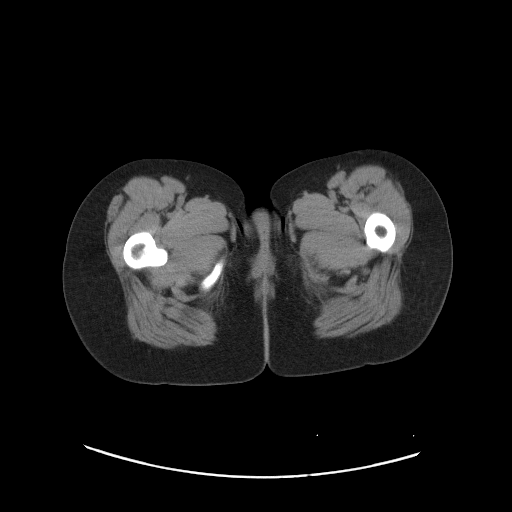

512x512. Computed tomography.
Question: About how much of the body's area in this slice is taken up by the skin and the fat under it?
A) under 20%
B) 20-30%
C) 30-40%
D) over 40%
Answer: D) over 40%
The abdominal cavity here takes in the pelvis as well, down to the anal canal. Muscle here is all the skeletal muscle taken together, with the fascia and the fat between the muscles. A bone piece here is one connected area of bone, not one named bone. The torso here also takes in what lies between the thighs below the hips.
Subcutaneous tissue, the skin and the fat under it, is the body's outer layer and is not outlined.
Outlines:
muscle 1: 141 172; 163 172; 183 182; 192 193; 220 199; 227 206; 234 220; 236 231; 233 252; 221 296; 213 305; 219 328; 218 339; 213 344; 165 349; 131 336; 127 325; 127 308; 123 290; 106 252; 104 223; 108 205; 116 189; 128 177, around holes outlined by 139 231; 148 231; 154 238; 156 245; 158 247; 162 247; 164 248; 167 251; 168 253; 168 258; 165 264; 157 267; 145 267; 140 269; 134 269; 133 268; 131 268; 126 264; 122 254; 124 243; 130 235; 135 232; 138 232 and by 219 260; 222 260; 223 261; 223 268; 222 269; 222 270; 221 271; 217 280; 215 282; 215 283; 208 290; 203 290; 202 289; 201 289; 201 288; 200 287; 200 284; 201 283; 201 281; 203 279; 203 278; 204 278; 212 270; 214 265
muscle 2: 368 161; 376 161; 394 174; 403 184; 411 206; 413 232; 402 260; 402 307; 389 324; 368 332; 353 337; 318 338; 312 333; 311 328; 316 308; 305 289; 293 255; 287 230; 287 212; 294 197; 300 192; 319 189; 343 167; 356 162 with a hole at 375 211; 382 212; 387 215; 391 219; 395 226; 395 239; 394 240; 394 242; 388 251; 386 252; 381 252; 376 249; 370 249; 367 247; 365 242; 365 235; 363 230; 364 228; 364 225; 365 224; 365 221; 367 217; 372 212; 374 212
muscle 3: 260 277; 267 277; 270 280; 271 280; 271 281; 274 285; 274 297; 273 297; 271 301; 267 304; 262 304; 260 302; 258 301; 256 301; 254 297; 254 289; 255 288; 255 285; 256 284; 256 282; 260 278; inner edge: 263 281; 267 281; 269 283; 269 285; 271 288; 271 291; 270 292; 270 295; 269 296; 268 296; 266 298; 266 299; 262 299; 262 298; 261 297; 261 296; 260 295; 260 294; 258 291; 258 286; 260 284; 260 283
left leg: 366 147; 386 149; 410 160; 428 177; 444 204; 453 245; 453 270; 443 307; 425 341; 402 359; 322 375; 302 377; 275 375; 265 366; 265 326; 268 311; 277 297; 277 242; 281 225; 277 211; 270 204; 270 188; 282 175; 304 163
abdominal cavity: 263 281; 267 281; 269 283; 269 285; 271 288; 271 291; 270 292; 270 295; 269 296; 268 296; 266 298; 266 299; 262 299; 262 298; 261 297; 261 296; 260 295; 260 294; 258 291; 258 286; 260 284; 260 283
torso: 145 157; 187 159; 215 167; 238 183; 249 209; 258 204; 270 205; 277 213; 280 225; 276 242; 276 297; 264 326; 265 367; 247 382; 181 386; 126 381; 104 369; 89 354; 74 329; 62 290; 62 262; 73 216; 102 177; 128 161
bones 1: 139 231; 148 231; 154 238; 156 245; 158 247; 162 247; 164 248; 167 251; 168 253; 168 258; 165 264; 157 267; 145 267; 140 269; 134 269; 133 268; 131 268; 126 264; 122 254; 124 243; 130 235; 135 232; 138 232
bones 2: 375 211; 382 212; 387 215; 391 219; 395 226; 395 239; 394 240; 394 242; 388 251; 386 252; 381 252; 376 249; 370 249; 367 247; 365 242; 365 235; 363 230; 364 228; 364 225; 365 224; 365 221; 367 217; 372 212; 374 212
bones 3: 219 260; 222 260; 223 261; 223 268; 222 269; 222 270; 221 271; 217 280; 215 282; 215 283; 208 290; 203 290; 202 289; 201 289; 201 288; 200 287; 200 284; 201 283; 201 281; 203 279; 203 278; 204 278; 212 270; 214 265